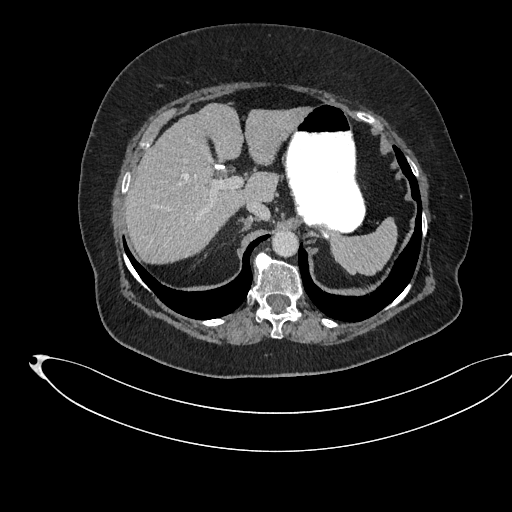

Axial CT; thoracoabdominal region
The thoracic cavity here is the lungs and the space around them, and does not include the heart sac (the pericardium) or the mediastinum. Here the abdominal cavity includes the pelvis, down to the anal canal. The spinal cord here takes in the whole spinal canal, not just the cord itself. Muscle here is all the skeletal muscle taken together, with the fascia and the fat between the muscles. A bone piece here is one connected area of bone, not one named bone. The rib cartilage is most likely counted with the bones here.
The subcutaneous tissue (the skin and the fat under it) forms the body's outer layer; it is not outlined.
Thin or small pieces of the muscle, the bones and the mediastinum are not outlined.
bones 1: 266,248 272,257 298,267 305,293 305,296 296,302 301,316 295,322 287,320 282,324 281,339 270,336 272,324 267,319 259,322 255,319 258,304 255,301 250,305 246,302 247,293 254,283 252,258 258,251 with a hole at 277,294 279,295 283,295 284,296 286,296 289,300 289,303 284,308 283,311 281,311 280,312 275,312 273,311 272,309 272,307 268,303 267,301 267,297 268,296 270,295 276,295
bones 2: 170,108 176,108 175,114 172,117 166,120 159,127 159,128 155,133 150,145 147,148 147,149 145,150 144,149 140,148 138,145 139,141 142,138 145,131 147,129 149,125 157,116 158,116 162,112
bones 3: 354,111 363,111 364,112 366,112 370,114 372,116 373,116 383,126 383,129 379,132 376,131 376,130 374,129 374,128 369,123 365,122 364,121 362,121 361,120 359,120 355,117 354,117 352,115 352,113
bones 4: 122,245 123,246 123,249 126,253 126,255 128,257 134,269 137,272 141,279 146,284 146,285 151,290 152,292 150,292 146,289 145,289 134,278 132,274 127,268 124,262 123,257 122,256 122,251 123,250
bones 5: 410,281 411,281 412,282 412,285 411,286 409,291 407,293 407,294 404,297 404,298 399,303 398,303 395,306 394,306 389,309 387,309 386,310 383,310 383,309 387,305 388,305 404,289 404,288
bones 6: 222,317 225,320 225,321 222,324 219,324 218,325 217,325 216,326 207,326 206,325 204,325 203,324 201,324 200,323 199,323 198,322 198,320 205,320 206,319 212,319 213,318 221,318
bones 7: 128,170 131,172 131,178 130,179 130,181 129,182 129,185 127,188 127,191 124,194 123,194 121,192 121,183 122,182 122,179 123,178 123,176 124,175 124,174 125,173 125,172
bones 8: 422,210 424,210 424,211 425,212 425,214 426,215 426,218 427,219 427,224 428,225 428,228 427,229 427,233 426,234 426,236 424,238 422,238 422,230 421,229 421,213 422,212
bones 9: 405,155 408,155 411,158 411,159 416,165 416,166 417,167 417,169 418,170 418,172 419,173 419,176 417,178 412,172 412,170 411,169 411,168 410,167 410,166 409,165 409,164 405,157
thoracic cavity 1: 394,145 404,155 416,178 420,194 421,241 417,261 410,280 381,310 359,321 337,321 325,316 306,294 298,266 299,247 302,243 307,254 311,279 328,293 364,296 386,279 414,231 417,213 410,182 400,165
thoracic cavity 2: 264,235 269,236 253,249 250,256 253,283 246,293 245,300 228,314 205,319 196,319 183,315 166,305 142,279 123,245 124,238 136,261 164,286 182,291 202,291 223,286 233,280 242,269 242,257 250,242
mediastinum: 282,228 289,228 292,230 295,230 301,238 302,242 299,244 297,251 297,265 283,259 272,256 268,252 269,249 267,247 258,250 252,256 251,259 254,249 259,244 267,239 270,236 270,234
muscle 1: 238,81 297,84 325,90 358,102 381,115 393,127 413,151 429,185 430,258 436,280 435,288 430,294 374,329 348,341 320,345 282,339 283,324 287,321 295,323 302,316 297,302 306,295 323,314 319,321 327,328 339,327 338,322 359,322 399,304 413,285 411,278 418,261 422,239 427,236 429,225 422,206 417,165 408,154 404,154 380,133 384,126 373,115 363,110 354,110 351,114 338,104 323,101 308,93 269,85 238,89 202,100 177,115 176,107 162,111 152,120 138,141 137,145 143,153 133,171 128,169 124,172 120,192 124,195 121,256 128,271 145,290 153,293 175,312 195,319 207,327 222,325 226,321 223,317 232,313 245,301 249,306 255,302 257,306 254,310 254,319 258,323 267,320 271,324 271,338 249,345 218,345 190,336 161,319 149,316 122,295 112,235 111,200 129,140 148,116 164,104 194,90
muscle 2: 166,121 167,121 160,128 160,129 158,131 158,132 157,133 157,134 155,136 155,135 156,134 156,133 158,131 158,130 160,128 160,127
abdominal cavity: 269,86 338,105 393,145 416,204 415,221 388,275 368,294 344,295 319,287 310,274 302,238 289,227 250,241 239,273 223,285 202,290 176,289 158,281 137,261 123,237 124,199 132,173 161,128 199,102
spinal cord: 277,294 279,295 283,295 284,296 286,296 289,300 289,303 284,308 283,311 281,311 280,312 275,312 273,311 272,309 272,307 268,303 267,301 267,297 268,296 270,295 276,295
torso: 236,22 304,26 357,40 397,60 429,92 466,175 472,203 471,235 457,272 462,307 449,325 352,368 237,378 162,364 121,345 107,332 96,306 94,275 77,210 80,161 98,106 117,74 151,45 184,31